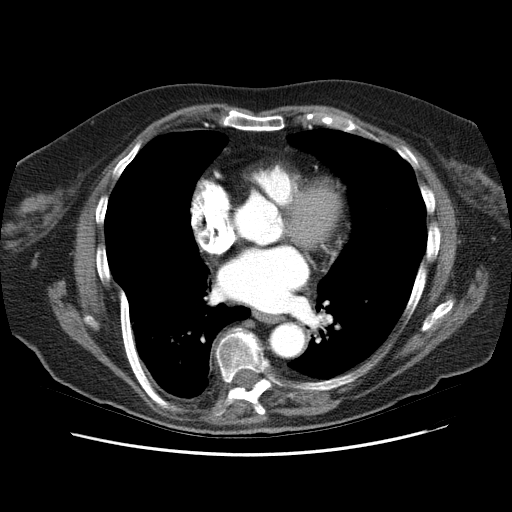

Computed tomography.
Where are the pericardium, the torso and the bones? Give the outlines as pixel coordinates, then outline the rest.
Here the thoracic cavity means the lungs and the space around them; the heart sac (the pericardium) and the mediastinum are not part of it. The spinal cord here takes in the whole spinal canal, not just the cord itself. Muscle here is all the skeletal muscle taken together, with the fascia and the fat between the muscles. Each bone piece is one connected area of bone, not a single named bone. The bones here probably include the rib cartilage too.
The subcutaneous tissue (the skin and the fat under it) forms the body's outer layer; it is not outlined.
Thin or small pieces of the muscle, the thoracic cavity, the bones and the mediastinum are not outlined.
Outlined structures:
pericardium: 238 144; 277 145; 312 156; 345 185; 345 196; 349 209; 350 222; 347 239; 327 271; 313 286; 312 294; 291 314; 260 313; 247 305; 231 303; 214 293; 210 270; 200 253; 194 235; 190 210; 196 184; 200 177; 209 169; 212 162
torso: 328 78; 385 86; 475 123; 499 176; 511 239; 508 297; 488 361; 442 378; 430 390; 359 421; 247 437; 170 431; 109 404; 98 405; 56 381; 13 335; 4 303; 0 238; 17 162; 105 107; 148 88; 186 82; 260 87
bones 1: 236 326; 257 336; 264 355; 277 376; 285 383; 283 386; 273 383; 259 396; 258 401; 265 409; 263 414; 258 413; 253 404; 244 399; 234 399; 225 407; 222 414; 214 414; 230 386; 220 378; 215 350; 219 340 with a hole at 242 369; 248 369; 249 370; 251 370; 257 375; 257 377; 258 378; 257 379; 257 380; 254 383; 254 384; 249 389; 247 389; 243 386; 238 386; 234 383; 234 377; 235 376; 235 375; 237 373; 237 372; 238 372
bones 2: 120 289; 123 290; 127 299; 129 320; 132 330; 134 344; 138 357; 140 360; 142 369; 153 388; 164 399; 176 406; 179 410; 170 410; 164 408; 156 403; 143 389; 131 368; 126 355; 121 331; 120 300; 119 299; 119 291
bones 3: 432 221; 436 221; 440 229; 439 248; 435 259; 426 263; 427 276; 424 288; 412 314; 407 321; 406 321; 407 318; 406 316; 402 315; 402 314; 410 297; 419 266; 424 258; 426 252; 427 236; 428 235; 428 228; 427 226
bones 4: 231 108; 233 108; 242 113; 245 113; 253 116; 269 116; 270 115; 280 114; 285 118; 286 126; 284 128; 278 130; 271 130; 270 131; 242 130; 229 126; 224 127; 218 124; 217 122; 218 118; 222 113; 226 113; 227 110
bones 5: 312 112; 323 112; 327 114; 336 114; 348 118; 352 120; 357 125; 376 136; 381 142; 377 142; 354 133; 343 131; 335 128; 331 128; 323 124; 314 124; 311 128; 309 128; 305 125; 302 125; 301 123; 298 121; 297 118; 298 116
bones 6: 374 355; 376 355; 375 358; 376 361; 369 369; 360 375; 355 380; 340 385; 335 388; 332 388; 328 390; 305 390; 300 388; 296 388; 292 385; 294 383; 300 382; 301 381; 326 380; 336 376; 343 375; 359 367; 366 361; 369 360
bones 7: 101 243; 104 244; 105 246; 105 252; 106 253; 106 259; 107 260; 107 264; 108 265; 109 271; 111 275; 111 279; 109 281; 109 282; 106 284; 104 284; 101 281; 98 275; 97 267; 96 266; 96 250; 97 249; 97 246
bones 8: 450 299; 453 300; 453 305; 451 309; 445 314; 444 314; 441 317; 438 318; 435 321; 435 322; 431 327; 430 327; 425 331; 422 331; 421 330; 421 327; 422 326; 422 324; 426 316; 428 315; 431 312; 432 312; 434 310; 436 306
bones 9: 139 140; 141 140; 142 141; 141 147; 139 149; 139 150; 137 152; 133 159; 124 168; 124 169; 120 174; 119 177; 116 180; 115 180; 112 176; 112 171; 114 167; 116 165; 116 164; 131 150; 131 149; 134 146; 134 145
bones 10: 419 183; 424 183; 426 184; 432 190; 433 192; 434 198; 435 199; 435 209; 434 210; 434 212; 432 214; 429 214; 427 213; 427 211; 426 210; 426 206; 425 205; 424 200; 422 197; 422 194; 421 193; 421 191; 419 187
bones 11: 395 145; 404 145; 405 146; 406 146; 412 152; 412 153; 415 156; 415 157; 417 159; 417 161; 418 162; 418 164; 419 165; 419 168; 418 168; 417 169; 414 169; 411 166; 411 165; 405 159; 404 159; 394 149; 394 146
bones 12: 105 194; 108 196; 108 200; 107 201; 107 206; 106 207; 106 211; 105 212; 104 221; 103 222; 103 224; 98 224; 96 222; 96 220; 95 219; 95 210; 96 209; 96 206; 98 203; 98 201; 99 200; 100 197; 102 195; 104 195
bones 13: 88 314; 89 315; 91 315; 94 318; 94 319; 97 322; 97 323; 98 324; 98 328; 97 329; 94 329; 93 328; 92 328; 91 327; 90 327; 88 325; 87 325; 85 323; 85 322; 84 321; 84 319; 83 318; 85 315; 87 315
thoracic cavity 1: 172 130; 215 130; 228 139; 195 184; 190 223; 217 302; 228 307; 244 306; 250 311; 247 318; 234 320; 219 332; 214 350; 218 374; 205 392; 192 401; 160 394; 144 371; 128 299; 112 278; 105 245; 104 222; 117 180; 142 147
thoracic cavity 2: 319 128; 335 129; 381 143; 405 160; 413 169; 425 206; 427 235; 425 252; 409 297; 386 339; 354 369; 316 380; 280 369; 286 368; 289 362; 308 348; 313 335; 318 283; 348 241; 352 230; 346 184; 314 154; 287 140; 289 134
mediastinum 1: 318 280; 314 300; 312 335; 305 351; 289 361; 286 367; 278 368; 271 363; 264 353; 264 347; 260 339; 251 330; 236 325; 220 337; 219 334; 223 328; 234 321; 247 319; 251 314; 249 308; 260 314; 293 314; 313 294; 314 286
mediastinum 2: 201 121; 213 122; 224 128; 229 127; 254 132; 270 132; 298 125; 305 126; 308 129; 289 133; 286 140; 293 146; 314 155; 325 165; 312 155; 302 153; 288 146; 269 143; 238 143; 215 159; 229 141; 223 132; 215 129; 176 129
spinal cord: 242 369; 248 369; 249 370; 251 370; 257 375; 257 377; 258 378; 257 379; 257 380; 254 383; 254 384; 249 389; 247 389; 243 386; 238 386; 234 383; 234 377; 235 376; 235 375; 237 373; 237 372; 238 372
muscle: 216 102; 217 103; 227 103; 230 105; 245 108; 255 113; 285 105; 318 104; 332 106; 349 112; 370 124; 398 136; 415 148; 427 160; 436 175; 447 189; 448 194; 455 205; 456 211; 455 216; 458 221; 457 235; 459 242; 456 248; 456 255; 453 270; 455 276; 454 279; 457 285; 459 287; 467 286; 468 281; 474 275; 475 269; 480 264; 482 264; 489 273; 488 287; 484 299; 478 309; 450 337; 400 374; 396 375; 392 379; 365 395; 354 399; 346 399; 342 401; 335 408; 320 414; 308 416; 306 415; 287 416; 278 413; 272 413; 269 419; 261 423; 254 423; 247 425; 215 425; 206 422; 181 421; 176 419; 171 419; 152 410; 127 383; 99 361; 88 350; 71 339; 62 329; 49 304; 49 299; 47 296; 46 288; 52 282; 59 280; 63 277; 66 280; 68 289; 73 290; 75 288; 73 272; 73 256; 71 254; 71 252; 74 249; 74 240; 76 232; 75 224; 85 201; 96 185; 103 169; 140 132; 153 121; 183 107; 195 104 with holes at 231 108; 253 116; 280 114; 285 118; 286 128; 300 125; 297 118; 306 113; 336 114; 352 120; 393 150; 395 145; 406 146; 419 165; 419 168; 413 170; 417 183; 426 184; 434 195; 435 209; 432 214; 426 214; 426 225; 432 221; 437 222; 440 229; 439 248; 435 259; 426 263; 425 285; 412 314; 407 321; 405 315; 399 318; 386 339; 367 359; 376 355; 376 361; 355 380; 328 390; 305 390; 292 385; 315 379; 292 375; 274 366; 277 376; 285 384; 279 386; 273 383; 259 396; 258 401; 265 409; 263 414; 258 413; 251 402; 234 399; 222 414; 215 415; 214 410; 219 408; 230 386; 218 374; 205 392; 192 401; 161 394; 179 409; 170 410; 160 406; 146 393; 128 361; 120 322; 121 287; 112 278; 104 284; 97 271; 96 250; 99 244; 105 243; 105 232; 104 225; 96 222; 95 210; 100 197; 105 194; 109 196; 114 188; 117 181; 112 176; 114 167; 139 140; 143 147; 154 137; 180 126; 201 121; 217 124; 219 116 and at 450 299; 453 300; 453 305; 451 309; 445 314; 444 314; 441 317; 438 318; 435 321; 435 322; 431 327; 430 327; 425 331; 422 331; 421 330; 421 327; 422 326; 422 324; 426 316; 428 315; 431 312; 432 312; 434 310; 436 306 and at 88 314; 89 315; 91 315; 94 318; 94 319; 97 322; 97 323; 98 324; 98 328; 97 329; 94 329; 93 328; 92 328; 91 327; 90 327; 88 325; 87 325; 85 323; 85 322; 84 321; 84 319; 83 318; 85 315; 87 315